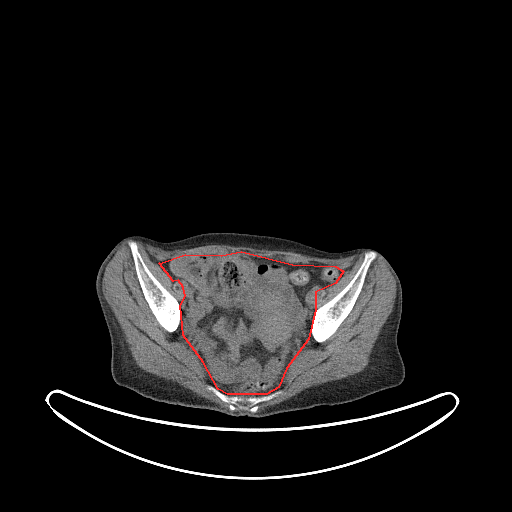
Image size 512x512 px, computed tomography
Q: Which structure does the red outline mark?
A: red: abdominal cavity.
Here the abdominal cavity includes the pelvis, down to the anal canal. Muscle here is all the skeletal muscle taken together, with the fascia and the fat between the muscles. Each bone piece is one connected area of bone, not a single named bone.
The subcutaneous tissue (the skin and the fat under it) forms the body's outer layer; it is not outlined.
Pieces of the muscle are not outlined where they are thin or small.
Outlined structures:
abdominal cavity: [[241,251],[292,264],[335,266],[343,271],[335,283],[315,292],[315,309],[308,339],[286,368],[278,387],[266,394],[227,394],[218,389],[203,362],[183,335],[180,305],[185,296],[183,287],[178,280],[173,281],[159,263],[185,254],[221,255]]
muscle 1: [[127,240],[139,286],[152,314],[159,325],[169,333],[174,332],[178,328],[182,318],[182,335],[202,362],[211,381],[218,388],[208,384],[206,389],[226,403],[228,409],[176,382],[147,372],[135,363],[124,335],[102,290],[102,280],[106,266],[120,246]]
muscle 2: [[377,256],[386,264],[393,276],[396,293],[393,309],[381,328],[365,368],[353,375],[308,387],[288,399],[258,411],[259,404],[282,393],[281,390],[276,390],[281,379],[295,356],[307,343],[310,333],[317,343],[324,342],[335,333],[354,307],[368,270]]
muscle 3: [[135,240],[167,251],[211,244],[224,244],[257,249],[292,251],[312,257],[328,259],[348,257],[361,252],[364,252],[364,255],[359,267],[346,285],[316,308],[314,308],[316,292],[322,288],[325,290],[335,284],[344,273],[343,270],[335,265],[302,262],[292,263],[275,257],[258,256],[243,250],[221,254],[185,253],[175,255],[158,263],[163,271],[171,277],[173,282],[178,281],[180,283],[184,293],[180,303],[149,269]]
torso: [[209,232],[275,236],[329,252],[360,247],[379,252],[396,272],[402,289],[397,344],[405,367],[403,381],[398,386],[354,401],[263,417],[231,416],[209,409],[169,404],[118,385],[111,375],[110,337],[95,287],[101,263],[127,236],[141,235],[170,242]]
bones 1: [[366,251],[374,251],[377,253],[377,255],[371,262],[367,270],[363,285],[353,305],[353,307],[347,316],[339,325],[334,333],[324,341],[322,342],[317,342],[311,334],[311,322],[315,310],[334,297],[347,285],[360,267],[364,259],[364,256]]
bones 2: [[130,239],[135,241],[137,249],[143,261],[151,273],[179,303],[180,306],[180,322],[177,328],[172,332],[167,331],[160,325],[153,314],[143,294],[142,289],[140,286],[140,283],[136,274],[136,270],[135,269],[135,265],[131,249],[128,244],[128,240]]
bones 3: [[208,385],[215,387],[222,393],[227,395],[236,394],[246,396],[261,396],[267,395],[276,391],[281,391],[281,393],[271,399],[259,403],[258,409],[255,412],[241,409],[230,410],[228,407],[228,404],[226,402],[223,401],[212,391],[207,389]]